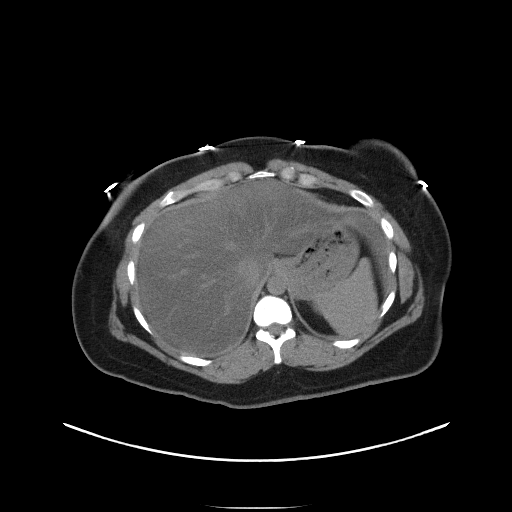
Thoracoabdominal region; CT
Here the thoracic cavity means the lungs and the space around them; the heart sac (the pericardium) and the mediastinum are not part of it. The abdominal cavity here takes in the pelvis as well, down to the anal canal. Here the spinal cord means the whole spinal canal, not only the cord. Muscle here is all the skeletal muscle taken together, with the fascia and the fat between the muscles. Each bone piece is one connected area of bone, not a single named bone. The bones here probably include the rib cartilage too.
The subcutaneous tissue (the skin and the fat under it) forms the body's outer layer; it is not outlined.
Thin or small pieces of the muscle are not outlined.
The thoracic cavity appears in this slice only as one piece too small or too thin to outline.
{"abdominal_cavity":[[[275,176],[324,201],[365,206],[379,220],[389,272],[377,318],[366,331],[348,339],[314,333],[294,317],[285,272],[274,269],[261,286],[251,323],[233,347],[203,357],[174,351],[154,333],[138,304],[135,262],[146,226],[160,208],[191,194],[246,178]]],"torso":[[[252,135],[336,147],[375,136],[395,144],[411,159],[419,187],[431,194],[443,215],[452,247],[442,305],[442,343],[425,370],[321,397],[238,409],[153,390],[106,374],[87,359],[73,327],[72,279],[122,176],[134,167],[138,175],[175,157]]],"spinal_cord":[[[273,323],[276,323],[277,324],[279,324],[280,325],[282,325],[283,326],[283,330],[278,335],[277,335],[276,336],[275,335],[274,335],[273,334],[272,334],[270,332],[269,332],[266,329],[267,328],[267,327],[268,326],[269,326],[271,324],[272,324]]],"bones":[{"outer":[[265,295],[277,296],[285,300],[289,305],[293,316],[290,324],[295,330],[296,335],[295,337],[284,341],[280,346],[279,353],[281,362],[279,364],[274,363],[274,353],[272,348],[266,342],[258,340],[255,337],[257,327],[253,322],[253,310],[257,301]],"hole":[[273,323],[276,323],[277,324],[279,324],[280,325],[282,325],[283,326],[283,330],[278,335],[277,335],[276,336],[275,335],[274,335],[273,334],[272,334],[270,332],[269,332],[266,329],[267,328],[267,327],[268,326],[269,326],[271,324],[272,324]]},[[233,170],[237,170],[241,172],[242,178],[239,180],[227,182],[216,189],[210,189],[205,191],[197,191],[191,193],[181,199],[163,207],[160,207],[158,205],[159,201],[168,191],[175,191],[183,188],[189,188],[197,183],[212,178],[222,178],[228,172]],[[288,166],[293,166],[297,173],[308,173],[315,176],[318,179],[318,183],[314,186],[303,187],[296,184],[295,181],[287,181],[278,175],[268,176],[267,177],[257,177],[252,179],[247,178],[247,175],[251,174],[258,170],[273,171],[278,174],[282,168]],[[350,189],[359,189],[360,190],[362,190],[364,192],[365,192],[367,194],[368,194],[373,201],[373,206],[372,207],[368,207],[367,206],[364,205],[359,200],[358,200],[355,198],[353,198],[350,195],[349,195],[348,194],[348,191]],[[180,354],[184,354],[188,356],[195,356],[196,357],[199,357],[200,358],[204,358],[205,359],[211,359],[212,360],[212,362],[210,364],[208,365],[205,365],[204,366],[198,366],[197,365],[192,365],[191,364],[186,363],[180,360],[178,358]],[[134,305],[136,306],[140,310],[140,311],[144,316],[146,321],[151,328],[153,332],[153,334],[150,334],[148,332],[147,332],[145,330],[145,329],[139,323],[139,322],[135,317],[134,315],[134,313],[133,312],[133,310],[132,309],[132,307]],[[357,337],[358,337],[360,339],[360,342],[359,343],[358,343],[357,344],[356,344],[355,345],[354,345],[349,348],[340,348],[339,347],[337,347],[336,346],[334,346],[332,344],[332,342],[334,340],[348,340],[349,339],[352,339],[353,338],[356,338]],[[391,290],[394,290],[395,291],[395,296],[394,297],[393,302],[390,306],[390,307],[388,309],[388,310],[385,313],[385,314],[382,317],[379,317],[378,316],[381,311],[381,306],[382,305],[384,300],[386,298],[386,297],[388,295],[388,294]],[[381,217],[384,217],[386,219],[387,219],[389,221],[389,222],[391,224],[391,225],[393,228],[393,237],[391,239],[388,239],[386,237],[386,236],[385,235],[385,234],[384,233],[384,232],[381,227],[381,225],[380,224],[380,219],[381,218]],[[141,222],[144,222],[145,223],[145,226],[144,227],[144,230],[143,231],[143,233],[142,234],[139,241],[138,241],[136,243],[133,243],[132,242],[132,240],[131,239],[133,230],[134,229],[134,228],[139,223],[140,223]],[[130,260],[132,260],[133,261],[134,261],[134,265],[135,266],[135,283],[134,284],[133,284],[132,285],[130,283],[130,282],[129,281],[129,279],[128,278],[128,276],[127,275],[127,264],[128,263],[128,262]],[[390,251],[393,251],[395,253],[395,254],[396,255],[396,267],[395,268],[395,271],[393,273],[392,273],[390,271],[390,270],[389,269],[389,266],[388,265],[388,256],[389,255],[389,252]]],"muscle":[[[273,158],[315,167],[361,189],[350,188],[347,194],[328,187],[315,187],[319,183],[315,175],[297,172],[293,165],[288,165],[278,173],[258,169],[245,178],[241,171],[233,169],[222,177],[168,190],[158,201],[159,209],[149,223],[141,221],[132,230],[130,239],[133,244],[137,243],[137,251],[135,261],[130,259],[126,264],[126,275],[129,283],[135,285],[138,307],[134,304],[131,307],[134,317],[147,333],[155,334],[179,354],[180,361],[198,367],[210,365],[213,362],[210,358],[233,348],[252,322],[256,327],[255,339],[271,348],[275,365],[241,383],[217,383],[168,365],[113,336],[108,326],[112,285],[133,219],[171,187],[201,172],[233,161],[243,161],[261,169]],[[369,194],[383,204],[409,241],[409,256],[419,270],[423,286],[421,315],[344,366],[313,371],[281,363],[281,346],[297,335],[291,324],[294,318],[310,332],[333,338],[331,344],[334,347],[349,349],[361,342],[358,336],[366,332],[378,317],[382,318],[393,304],[396,291],[391,289],[388,293],[389,273],[396,271],[397,255],[389,250],[387,239],[394,237],[394,228],[387,218],[381,216],[378,219],[370,209],[374,201]]],"mediastinum":[[[274,270],[281,270],[284,272],[284,274],[286,277],[286,282],[288,286],[288,292],[290,298],[290,303],[289,304],[282,297],[272,294],[265,294],[258,299],[258,296],[260,294],[262,286],[264,285],[264,283],[267,279],[267,276],[271,271]],[[311,187],[314,187],[315,188],[328,188],[332,190],[337,190],[350,196],[353,199],[359,201],[363,206],[338,204],[337,203],[334,203],[333,202],[330,202],[324,200],[320,197],[314,195],[308,191],[303,190],[302,189],[310,188]]]}